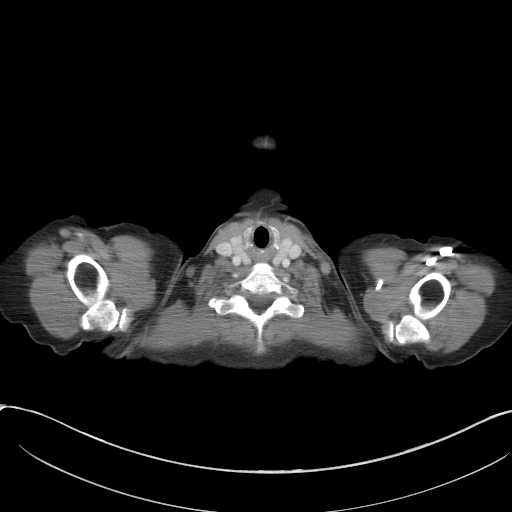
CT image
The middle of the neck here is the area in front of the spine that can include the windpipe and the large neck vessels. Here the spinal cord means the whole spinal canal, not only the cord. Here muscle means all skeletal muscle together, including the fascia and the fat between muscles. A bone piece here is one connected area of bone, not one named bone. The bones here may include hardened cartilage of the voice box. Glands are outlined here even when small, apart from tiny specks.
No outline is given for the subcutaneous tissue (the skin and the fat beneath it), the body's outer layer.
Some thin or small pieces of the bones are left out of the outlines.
{"muscle":[{"outer":[[249,216],[285,219],[297,226],[329,262],[330,275],[353,316],[361,311],[360,292],[368,275],[360,256],[363,249],[434,244],[453,245],[495,269],[487,313],[469,339],[446,354],[417,346],[394,349],[376,338],[350,355],[291,345],[265,356],[231,347],[152,350],[139,347],[134,333],[113,338],[82,332],[57,338],[31,307],[24,270],[26,249],[42,236],[64,226],[137,236],[155,250],[151,275],[167,295],[220,228]],"holes":[[[257,224],[275,227],[280,239],[301,248],[287,268],[273,271],[297,290],[291,294],[283,287],[284,293],[304,306],[301,317],[277,314],[264,325],[261,351],[257,330],[246,318],[220,315],[207,303],[239,293],[234,284],[251,270],[234,265],[217,245]],[[81,253],[91,256],[107,274],[110,281],[107,296],[112,299],[116,308],[119,311],[124,307],[131,309],[133,320],[125,331],[119,330],[116,326],[109,332],[96,326],[91,330],[84,330],[80,326],[80,317],[86,307],[74,294],[66,271],[67,262]],[[433,271],[445,276],[451,284],[451,289],[449,297],[440,312],[424,322],[430,334],[429,343],[418,342],[401,345],[395,339],[392,342],[387,341],[382,333],[383,322],[391,320],[396,324],[402,315],[410,310],[410,306],[407,302],[410,289],[418,280]]]}],"middle_of_the_neck":[[[257,224],[268,226],[273,233],[273,246],[277,250],[272,259],[275,267],[285,259],[292,246],[299,246],[301,254],[285,269],[274,269],[263,261],[250,267],[234,265],[229,257],[217,252],[217,245],[229,242],[237,259],[248,266],[251,258],[243,237]]],"torso":[[[122,221],[158,229],[178,239],[182,244],[185,259],[202,248],[202,270],[194,304],[217,367],[209,363],[203,363],[193,368],[183,368],[148,361],[127,362],[124,359],[112,360],[100,353],[98,346],[115,332],[121,316],[120,294],[105,226]],[[370,232],[392,232],[403,238],[414,238],[421,242],[406,259],[395,279],[392,332],[405,362],[400,365],[381,356],[371,366],[349,370],[330,364],[318,364],[312,360],[303,360],[301,342],[326,304],[316,259],[318,244],[333,258],[336,249],[342,243]]],"spinal_cord":[[[250,294],[251,295],[252,294],[253,295],[254,294],[270,294],[271,295],[271,297],[272,298],[272,299],[271,300],[271,302],[270,303],[270,304],[265,309],[265,310],[263,312],[258,314],[257,313],[256,313],[250,307],[250,306],[249,305],[248,296]]],"right_arm":[[[73,213],[82,215],[86,219],[87,224],[94,228],[105,227],[119,294],[120,316],[114,332],[97,346],[89,342],[83,342],[68,355],[60,356],[54,353],[50,347],[34,342],[21,324],[11,323],[1,315],[0,261],[24,237],[47,221]]],"thyroid_glands":[[[240,234],[241,235],[243,235],[242,237],[242,243],[245,248],[245,251],[247,252],[250,258],[250,263],[248,265],[245,265],[241,261],[240,261],[239,259],[238,259],[230,243],[230,239],[233,236],[235,236],[236,235],[239,235]],[[282,238],[289,238],[291,240],[291,241],[293,242],[294,244],[295,244],[292,245],[290,247],[288,251],[288,253],[285,256],[284,259],[277,266],[275,266],[273,264],[273,259],[278,251],[278,248],[279,247],[279,244],[280,243],[280,239]]],"head_and_neck":[[[262,182],[273,186],[285,197],[285,202],[291,208],[290,212],[307,226],[317,243],[315,259],[325,304],[300,342],[302,360],[298,360],[279,370],[271,372],[231,370],[218,367],[195,304],[203,270],[203,246],[216,226],[242,203],[244,197],[250,189]],[[264,132],[269,133],[275,136],[275,137],[279,140],[281,144],[281,148],[279,150],[279,151],[276,151],[272,153],[259,153],[257,151],[255,151],[253,149],[251,149],[249,147],[248,147],[247,145],[248,140],[252,136],[258,133],[263,133]]],"left_arm":[[[430,235],[450,235],[459,238],[475,247],[482,249],[494,255],[511,268],[511,326],[491,346],[481,350],[475,356],[470,359],[454,366],[442,367],[433,370],[427,370],[413,356],[406,361],[393,332],[397,276],[411,254],[422,242],[425,242]]],"bones":[{"outer":[[259,262],[270,265],[279,279],[295,288],[296,294],[284,287],[282,289],[294,303],[304,306],[301,317],[277,314],[264,325],[261,351],[257,349],[257,330],[246,318],[235,313],[220,315],[207,303],[211,297],[228,298],[239,293],[240,285],[234,284]],"hole":[[250,294],[251,295],[252,294],[253,295],[254,294],[270,294],[271,295],[271,297],[272,298],[272,299],[271,300],[271,302],[270,303],[270,304],[265,309],[265,310],[263,312],[258,314],[257,313],[256,313],[250,307],[250,306],[249,305],[248,296]]},[[81,253],[91,256],[107,274],[110,281],[107,296],[112,299],[116,308],[119,311],[124,307],[131,309],[133,320],[125,331],[119,330],[116,326],[109,332],[96,326],[91,330],[84,330],[80,326],[80,317],[86,307],[74,294],[66,271],[67,262]],[[433,271],[445,276],[451,284],[451,289],[449,297],[440,312],[424,322],[430,334],[429,343],[418,342],[401,345],[395,339],[392,342],[387,341],[382,333],[383,322],[391,320],[396,324],[402,315],[410,310],[410,306],[407,302],[410,289],[418,280]]]}